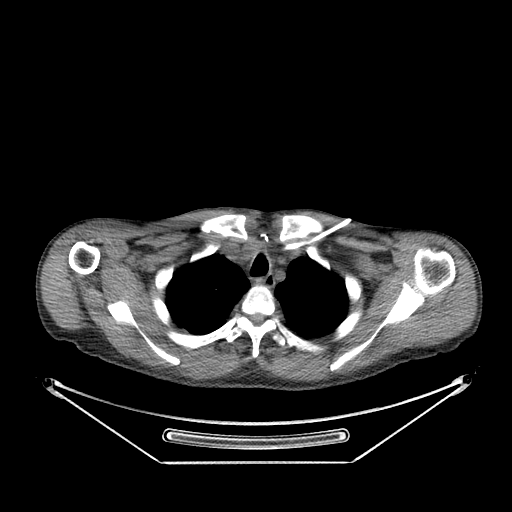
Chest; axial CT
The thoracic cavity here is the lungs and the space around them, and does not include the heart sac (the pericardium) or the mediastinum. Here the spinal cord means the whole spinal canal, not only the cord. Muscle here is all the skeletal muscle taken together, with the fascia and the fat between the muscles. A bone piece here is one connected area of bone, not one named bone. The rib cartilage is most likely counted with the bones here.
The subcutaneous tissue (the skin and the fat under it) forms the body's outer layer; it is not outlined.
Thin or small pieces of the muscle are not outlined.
The mediastinum is outlined by 262,233 273,237 282,245 297,247 307,254 305,256 298,256 289,262 285,278 276,284 273,292 268,286 262,283 255,283 251,285 245,273 237,264 224,255 215,252 220,245 226,241 244,242 251,240 258,234. The muscle is outlined by 214,209 252,211 264,218 276,213 312,211 346,219 349,223 387,235 395,232 425,232 445,237 463,252 473,270 477,292 476,316 469,328 442,343 404,348 342,377 317,381 282,379 255,370 236,376 192,379 141,364 133,358 122,355 100,335 85,330 68,330 55,324 43,304 40,288 41,271 49,250 63,233 90,221 117,221 142,226; inner edges: 226,213 246,216 248,240 264,233 303,252 313,245 339,276 354,276 361,292 347,313 361,315 352,330 337,340 332,331 310,338 325,347 318,353 281,346 269,331 255,358 245,331 231,342 221,338 196,348 171,340 168,330 188,332 172,319 164,324 154,311 152,298 166,297 155,275 170,264 175,270 184,265 209,243 241,242 200,229 205,220, then 420,247 428,247 434,251 445,250 452,256 456,269 453,281 434,295 427,296 423,303 404,320 385,325 365,348 339,368 331,371 329,367 333,361 344,352 367,340 385,318 402,288 402,282 413,278 413,257, then 286,214 301,214 302,215 307,215 308,216 313,217 319,220 321,222 325,229 320,233 313,233 310,235 303,235 300,237 294,237 285,242 282,242 280,241 279,239 279,233 281,229 281,218 283,215 285,215, then 116,300 123,300 127,302 130,311 140,329 157,346 163,349 166,352 178,357 180,362 177,365 172,365 169,362 160,357 149,346 145,339 134,326 123,322 118,323 114,319 107,308 107,304 109,302 113,302, then 79,240 82,240 90,245 95,245 97,246 100,252 100,258 99,259 99,263 97,267 91,273 89,273 88,274 80,274 76,272 70,267 69,265 69,263 68,262 68,254 69,253 69,251 72,245 75,242. The bones appear in 12 outlined pieces: piece 1: 255,284 262,284 273,293 281,321 298,336 324,346 322,351 281,346 272,338 273,331 263,335 255,358 252,341 245,331 231,342 221,338 196,348 179,345 166,335 168,330 202,335 217,329 233,315 244,294 with a hole at 256,313 259,313 260,314 263,315 265,317 265,318 264,319 264,320 262,322 262,323 261,323 258,325 256,325 255,324 254,324 250,320 250,319 249,318 249,316 250,315 252,315 253,314 255,314; piece 2: 420,247 428,247 434,251 445,250 452,256 456,269 453,281 434,295 427,296 423,303 404,320 385,325 365,348 339,368 331,371 329,367 333,361 344,352 367,340 385,318 402,288 402,282 413,278 413,257; piece 3: 226,213 229,213 230,214 243,214 246,216 247,219 247,222 246,223 246,230 248,234 248,238 247,240 244,241 237,237 234,237 233,236 220,237 214,232 203,232 200,229 200,225 205,220; piece 4: 286,214 301,214 302,215 307,215 308,216 313,217 319,220 321,222 325,229 320,233 313,233 310,235 303,235 300,237 294,237 285,242 282,242 280,241 279,239 279,233 281,229 281,218 283,215 285,215; piece 5: 116,300 123,300 127,302 130,311 140,329 157,346 163,349 166,352 178,357 180,362 177,365 172,365 169,362 160,357 149,346 145,339 134,326 123,322 118,323 114,319 107,308 107,304 109,302 113,302; piece 6: 79,240 82,240 90,245 95,245 97,246 100,252 100,258 99,259 99,263 97,267 91,273 89,273 88,274 80,274 76,272 70,267 69,265 69,263 68,262 68,254 69,253 69,251 72,245 75,242; piece 7: 355,310 361,310 361,315 358,321 356,323 356,324 354,326 352,330 350,331 346,335 343,336 341,338 337,340 334,340 333,339 334,337 334,334 333,333 334,330 337,327 337,326 347,316 347,315 349,313; piece 8: 346,273 349,273 353,276 354,276 356,278 361,288 361,292 360,293 360,295 358,299 355,302 353,303 351,303 349,301 349,298 348,297 347,290 345,286 345,281 344,280 344,277; piece 9: 170,264 173,264 174,265 174,271 172,274 171,279 167,284 167,285 166,286 164,291 159,291 155,285 155,275 156,274 156,273 158,271 158,270 159,270 161,268 166,267 167,266 168,266; piece 10: 155,296 158,296 160,298 161,298 164,301 167,307 167,309 171,317 171,322 168,325 166,325 164,324 158,317 158,316 154,311 154,308 152,304 152,298; piece 11: 307,245 313,245 314,246 315,246 317,249 317,251 318,252 318,253 321,256 326,258 328,260 331,269 327,269 326,268 325,268 319,263 318,263 315,260 312,259 308,255 308,254 306,251 306,246; piece 12: 209,243 213,243 214,244 218,244 219,245 219,247 213,253 207,256 202,257 192,262 189,262 189,259 191,255 194,252 196,251 199,251 203,249 206,246 206,245. The right arm is outlined by 98,216 117,217 118,229 115,242 112,248 112,252 76,345 68,341 58,341 52,338 45,331 38,317 35,302 35,292 34,291 34,281 35,280 35,273 37,263 47,242 60,229 74,221 84,218 97,217. The torso is outlined by 212,206 240,206 264,211 307,207 365,223 406,227 398,234 397,251 410,282 446,308 482,317 479,327 471,338 451,352 400,363 363,380 320,390 188,387 85,354 76,346 113,252 119,229 118,217 157,219. The spinal cord is outlined by 256,313 259,313 260,314 263,315 265,317 265,318 264,319 264,320 262,322 262,323 261,323 258,325 256,325 255,324 254,324 250,320 250,319 249,318 249,316 250,315 252,315 253,314 255,314. The left arm is outlined by 407,227 408,228 429,228 445,232 456,238 467,248 473,256 477,264 481,276 482,289 483,290 483,310 482,311 482,316 473,315 446,307 431,299 420,291 411,282 402,265 398,251 399,234 402,230. The thoracic cavity appears in 2 outlined pieces: piece 1: 214,253 224,256 228,260 237,265 244,273 250,286 243,294 239,303 234,308 232,315 220,326 209,332 202,334 191,333 178,325 172,319 171,314 165,302 166,288 172,279 173,274 176,269 188,262 192,263; piece 2: 306,256 308,256 325,269 332,270 343,279 349,302 346,316 336,326 333,331 309,339 298,335 283,322 280,309 278,308 278,302 274,295 274,290 277,284 282,282 286,278 286,274 290,262 298,257.